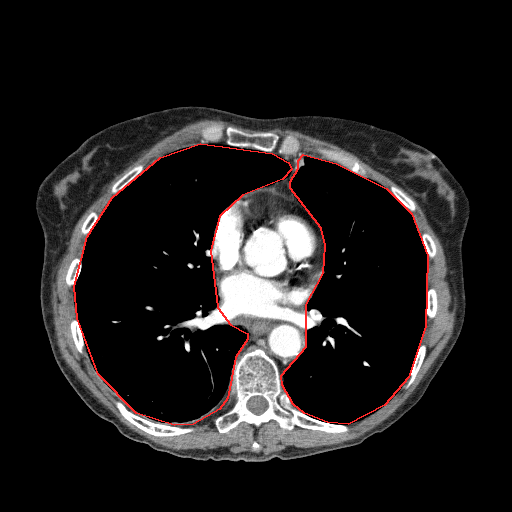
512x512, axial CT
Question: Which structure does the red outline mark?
Answer: red: thoracic cavity.
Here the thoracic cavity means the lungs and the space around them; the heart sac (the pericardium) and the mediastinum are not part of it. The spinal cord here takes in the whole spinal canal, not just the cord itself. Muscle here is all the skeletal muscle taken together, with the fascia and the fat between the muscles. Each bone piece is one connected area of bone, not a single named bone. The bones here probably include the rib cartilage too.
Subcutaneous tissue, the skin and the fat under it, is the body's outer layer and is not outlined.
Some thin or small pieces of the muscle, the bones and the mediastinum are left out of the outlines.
{"thoracic_cavity":[[[200,143],[272,153],[288,162],[291,169],[282,179],[242,195],[219,216],[210,250],[217,307],[230,324],[247,333],[247,339],[235,357],[227,398],[219,409],[193,424],[174,425],[136,413],[98,374],[77,318],[74,286],[87,236],[112,197],[160,157]],[[303,154],[336,163],[386,188],[411,213],[427,255],[425,326],[408,377],[384,405],[348,424],[327,422],[304,413],[293,404],[282,385],[281,375],[306,346],[306,304],[323,273],[325,245],[321,228],[290,188],[290,181],[298,168],[298,160]]],"pericardium":[[[262,188],[273,189],[291,198],[294,197],[317,226],[323,242],[322,273],[311,296],[303,305],[300,314],[279,321],[257,321],[242,317],[236,315],[227,307],[222,305],[215,282],[213,270],[214,261],[211,255],[215,229],[222,212],[242,196]]],"spinal_cord":[[[253,396],[261,396],[262,397],[263,397],[266,400],[266,401],[267,402],[267,408],[263,412],[262,412],[261,413],[260,413],[259,414],[256,414],[255,413],[254,413],[253,412],[252,412],[247,407],[247,402],[248,401],[248,400],[251,397],[252,397]]],"mediastinum":[[[219,298],[221,305],[236,316],[257,322],[279,322],[298,316],[303,311],[305,304],[307,311],[303,318],[305,346],[299,356],[281,374],[276,362],[261,348],[245,351],[236,358],[248,339],[248,333],[240,325],[232,324],[228,321],[224,310],[218,307]],[[273,152],[276,152],[280,155],[297,155],[300,156],[297,160],[297,168],[292,174],[289,181],[289,188],[294,195],[293,197],[273,188],[263,187],[267,187],[275,182],[282,180],[287,177],[290,174],[292,169],[292,167],[288,161],[279,155],[273,153]],[[302,206],[314,218],[314,219],[318,224],[318,225],[320,228],[320,230],[321,231],[321,233],[322,234],[322,237],[322,235],[320,232],[320,230],[318,228],[318,226],[316,224],[316,223],[314,221],[314,220],[306,212],[306,211],[302,207]]],"muscle":[[[204,119],[265,131],[204,125],[198,131],[199,143],[174,149],[146,166],[139,163],[110,187],[113,195],[101,212],[91,210],[84,219],[82,256],[70,261],[64,278],[73,287],[76,317],[70,320],[69,330],[75,348],[133,411],[115,399],[120,415],[156,437],[192,432],[191,425],[217,412],[227,399],[228,407],[212,419],[221,434],[241,422],[257,428],[271,420],[288,431],[297,426],[346,433],[349,424],[384,406],[403,385],[407,389],[427,352],[421,342],[426,320],[435,317],[438,307],[437,292],[427,283],[428,258],[435,257],[436,244],[428,232],[420,233],[412,215],[416,203],[404,191],[367,177],[365,167],[342,150],[320,146],[316,152],[321,157],[302,153],[296,136],[268,130],[298,131],[354,154],[413,197],[440,241],[448,268],[446,279],[457,303],[451,337],[414,391],[393,414],[357,438],[317,447],[290,445],[267,454],[255,452],[262,447],[256,440],[251,443],[253,451],[233,452],[220,446],[173,449],[122,423],[61,355],[53,321],[52,284],[76,223],[106,185],[144,151]]],"bones":[{"outer":[[256,349],[261,349],[275,362],[280,374],[281,385],[297,409],[323,422],[347,425],[348,431],[334,433],[297,425],[288,430],[271,419],[257,427],[241,421],[227,432],[219,432],[213,419],[230,405],[227,401],[232,384],[234,362],[243,353]],"hole":[[253,396],[261,396],[262,397],[263,397],[266,400],[266,401],[267,402],[267,408],[263,412],[262,412],[261,413],[260,413],[259,414],[256,414],[255,413],[254,413],[253,412],[252,412],[247,407],[247,402],[248,401],[248,400],[251,397],[252,397]]},[[211,124],[231,126],[248,133],[271,131],[281,136],[291,135],[296,137],[300,141],[301,144],[300,152],[302,154],[301,155],[280,154],[276,151],[268,152],[250,147],[229,145],[224,143],[223,141],[201,143],[199,134],[200,129],[204,126]],[[115,400],[121,401],[130,411],[154,422],[165,423],[174,426],[181,426],[182,427],[185,426],[191,426],[193,427],[193,430],[190,432],[187,432],[178,435],[170,435],[169,436],[156,436],[147,433],[130,423],[121,415],[120,412],[114,404],[114,401]],[[320,147],[324,147],[325,148],[328,148],[329,149],[332,149],[333,150],[336,150],[337,151],[342,151],[346,154],[353,157],[364,167],[366,170],[366,176],[362,176],[336,162],[334,162],[333,161],[331,161],[330,160],[323,158],[317,152],[317,149]],[[421,343],[425,345],[426,347],[426,352],[425,353],[424,358],[422,361],[422,363],[420,366],[420,368],[417,372],[414,380],[412,383],[407,388],[406,388],[404,385],[405,384],[406,380],[409,377],[409,372],[410,371],[410,369],[412,366],[416,352]],[[74,318],[76,318],[77,319],[81,329],[81,332],[83,337],[83,341],[85,346],[85,350],[88,356],[86,357],[77,350],[71,335],[71,331],[70,330],[70,322],[71,320]],[[139,164],[142,164],[143,165],[144,165],[145,166],[145,167],[135,177],[134,177],[130,181],[129,181],[116,193],[115,193],[114,194],[112,194],[112,193],[111,192],[111,187],[121,177],[122,177],[128,171],[129,171],[135,166],[136,166]],[[75,257],[78,257],[81,259],[81,267],[80,268],[80,272],[79,273],[79,275],[74,285],[70,287],[68,286],[68,285],[66,283],[66,279],[65,278],[66,277],[66,274],[67,273],[67,270],[68,269],[68,267],[71,261]],[[430,287],[432,287],[434,288],[436,292],[436,298],[437,299],[437,307],[436,308],[435,315],[434,317],[432,318],[428,318],[426,314],[426,297],[427,296],[427,290],[428,288]],[[392,185],[399,188],[403,192],[404,192],[412,200],[413,200],[416,206],[416,209],[414,211],[412,212],[410,211],[410,210],[408,209],[408,208],[406,207],[388,189],[389,187]],[[424,232],[426,232],[428,233],[431,236],[435,244],[435,247],[436,248],[436,253],[434,257],[432,258],[429,258],[428,257],[428,255],[426,252],[426,250],[425,249],[425,247],[423,243],[423,240],[422,239],[421,234]],[[91,211],[94,211],[95,212],[96,212],[98,214],[98,217],[97,218],[97,220],[95,222],[93,227],[90,230],[90,231],[87,234],[87,235],[84,235],[83,234],[82,234],[82,232],[81,231],[81,228],[82,227],[82,225],[83,224],[85,219]]],"torso":[[[189,105],[257,118],[328,115],[369,123],[426,147],[461,184],[469,201],[461,244],[463,325],[422,397],[382,432],[357,445],[288,460],[179,457],[121,434],[84,403],[60,370],[40,305],[44,234],[35,206],[38,187],[58,163],[105,127],[149,112]]]}